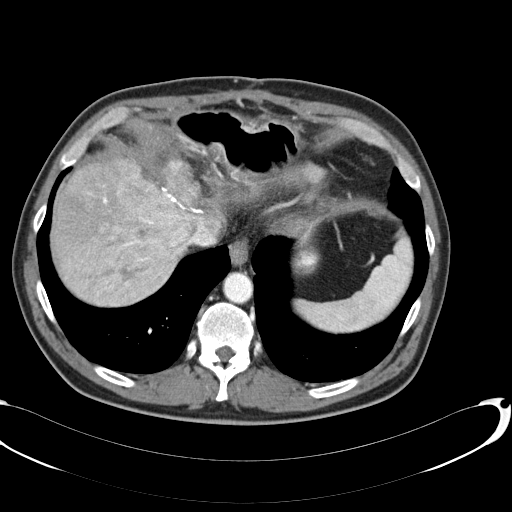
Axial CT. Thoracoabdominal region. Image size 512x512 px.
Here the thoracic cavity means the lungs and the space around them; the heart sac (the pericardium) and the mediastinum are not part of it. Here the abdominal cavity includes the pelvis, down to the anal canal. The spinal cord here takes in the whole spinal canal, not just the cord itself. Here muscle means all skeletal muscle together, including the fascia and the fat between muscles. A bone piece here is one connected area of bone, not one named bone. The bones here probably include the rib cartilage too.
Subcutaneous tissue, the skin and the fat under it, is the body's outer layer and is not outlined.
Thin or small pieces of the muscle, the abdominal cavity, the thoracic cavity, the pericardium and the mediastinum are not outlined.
spinal cord: 223,346 227,346 228,347 229,347 233,351 233,352 234,353 233,354 233,355 232,355 225,362 223,362 220,359 220,358 218,356 218,355 216,353 216,351 217,350 217,349 218,349 219,348 220,348
mediastinum 1: 239,220 246,222 249,229 268,235 257,242 251,255 251,265 255,273 252,280 254,312 252,310 248,313 228,301 217,301 205,308 197,318 201,305 208,294 230,270 231,263 228,247 225,244 220,245 220,243
mediastinum 2: 336,131 342,131 350,133 364,143 380,148 389,155 393,161 393,163 395,164 395,166 392,168 390,183 386,192 382,193 381,195 376,184 372,180 361,171 345,162 333,156 327,155 317,151 305,150 319,138
torso: 209,75 293,78 357,92 391,110 417,140 448,220 449,273 441,310 423,361 411,381 393,396 346,413 292,423 221,425 167,419 82,395 58,374 32,337 13,286 12,249 26,197 60,136 86,106 109,92
abdominal cavity 1: 240,99 256,104 267,101 345,131 319,137 304,150 301,164 259,183 235,179 229,168 246,221 234,223 219,245 182,258 151,295 123,307 97,307 72,295 58,277 50,254 52,208 62,180 94,137 136,113
abdominal cavity 2: 385,193 389,209 403,220 413,246 413,275 407,290 395,309 383,321 367,329 353,333 332,334 311,327 290,309 288,300 292,291 292,280 289,274 288,258 293,242 287,237 296,239 320,222 357,209 367,208
pericardium: 305,152 317,152 333,157 358,170 375,184 380,194 380,197 367,207 357,208 320,221 305,233 296,238 283,235 265,234 258,230 249,228 247,224 243,204 231,179 229,169 235,180 259,184 277,178 301,165
thoracic cavity 1: 69,167 53,198 48,247 57,277 79,301 97,308 131,306 157,292 186,256 221,245 227,247 229,270 201,303 194,335 184,351 161,370 122,373 89,360 69,341 55,316 41,279 37,234 52,187 59,174
thoracic cavity 2: 394,167 419,196 428,264 423,286 391,349 363,373 329,383 301,381 282,372 269,358 256,332 255,247 269,235 291,240 288,305 311,328 345,335 383,322 404,297 415,266 414,246 405,222 388,205
bones 1: 217,302 228,302 248,314 252,311 254,313 255,332 263,349 258,355 250,352 250,365 228,381 228,397 222,401 216,400 219,380 210,369 199,364 199,352 190,359 185,358 186,346 196,332 196,320 205,309 with a hole at 223,346 227,346 228,347 229,347 233,351 233,352 234,353 233,354 233,355 232,355 225,362 223,362 220,359 220,358 218,356 218,355 216,353 216,351 217,350 217,349 218,349 219,348 220,348
bones 2: 339,117 348,117 357,119 376,128 412,166 414,171 419,177 420,193 418,194 406,183 401,175 399,169 396,166 395,163 396,158 394,155 385,149 373,144 368,144 352,133 329,123 328,122 329,120 333,120
bones 3: 118,106 126,106 130,108 138,107 140,108 140,110 139,111 133,111 132,110 129,113 129,115 123,121 99,131 91,139 85,151 81,156 72,165 63,170 61,170 59,163 62,155 96,120 110,109
bones 4: 356,376 358,377 359,382 355,386 346,391 344,391 335,395 332,395 328,397 315,398 310,396 307,392 307,390 309,388 311,388 312,387 319,387 320,386 323,386 326,384 337,382 341,380 345,380
bones 5: 95,364 98,364 106,368 108,368 111,370 113,370 114,371 119,372 133,379 135,382 135,385 131,387 125,387 121,385 118,385 117,384 115,384 112,382 110,382 104,379 102,377 98,375 93,369 93,367
bones 6: 38,278 40,278 41,280 41,282 44,287 44,289 46,292 47,297 49,300 49,302 50,303 51,308 53,311 54,316 59,325 59,327 58,328 50,321 47,315 45,313 37,297 37,294 36,293 36,281
bones 7: 419,295 421,298 421,304 420,305 420,308 419,309 419,311 414,321 412,323 412,324 410,326 408,330 400,338 398,338 398,335 403,325 403,323 405,320 405,318 411,306
bones 8: 46,202 47,203 47,205 46,206 45,215 44,216 43,221 41,224 41,226 39,228 39,229 36,234 33,230 33,219 34,218 34,216 35,215 36,212 38,210 38,209 40,207 40,206 43,203 45,203
bones 9: 425,223 427,223 430,226 430,227 431,228 431,230 433,233 433,235 434,236 434,240 435,241 435,245 434,246 433,253 431,256 429,256 429,254 428,253 428,250 427,249 427,244 426,243 426,237 425,236
muscle: 244,89 259,89 359,111 393,134 415,159 430,190 440,232 439,269 417,350 409,364 392,378 316,409 247,415 230,403 223,403 229,397 229,381 251,365 251,352 258,356 264,351 278,370 296,380 325,384 306,390 310,397 321,399 355,387 360,382 358,376 380,362 397,338 409,330 421,308 420,293 426,280 429,257 436,245 432,228 425,222 419,195 420,177 376,127 357,118 339,116 327,121 312,120 267,100 256,103 245,98 132,115 130,113 139,112 140,107 118,105 96,119 61,155 58,163 61,171 47,201 33,216 32,230 36,235 40,275 35,281 36,297 49,321 58,329 60,327 75,349 94,363 94,372 110,383 134,387 135,380 124,374 161,371 184,352 186,360 198,352 198,364 210,370 218,380 216,401 197,409 177,409 128,399 73,368 48,344 34,321 23,274 34,203 59,152 75,132 106,105 129,98